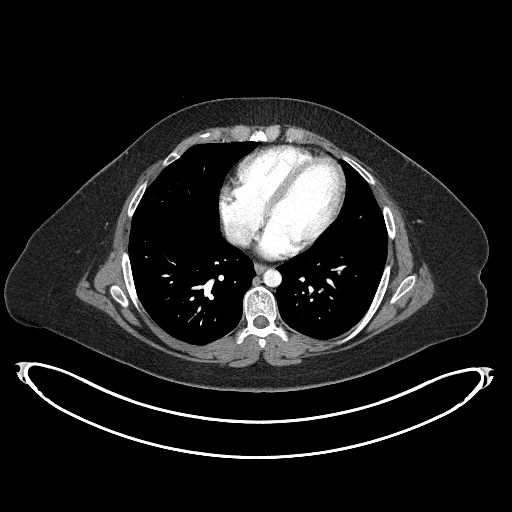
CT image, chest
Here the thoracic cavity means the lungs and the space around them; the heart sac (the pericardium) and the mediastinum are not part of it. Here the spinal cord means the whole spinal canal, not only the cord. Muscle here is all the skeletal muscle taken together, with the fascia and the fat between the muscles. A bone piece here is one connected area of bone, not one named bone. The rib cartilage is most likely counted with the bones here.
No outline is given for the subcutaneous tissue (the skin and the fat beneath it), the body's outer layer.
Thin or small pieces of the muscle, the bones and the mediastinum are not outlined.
torso: 251 392; 307 389; 365 375; 428 346; 469 333; 481 323; 487 307; 480 274; 489 246; 481 224; 469 209; 431 173; 375 132; 338 110; 304 99; 224 97; 194 103; 165 116; 33 232; 4 286; 6 308; 19 323; 48 329; 166 380
pericardium: 268 260; 283 260; 304 251; 336 219; 344 199; 345 178; 341 166; 329 154; 289 142; 268 144; 255 148; 240 159; 228 176; 220 194; 223 211; 220 216; 222 227; 227 234; 230 229; 237 229; 246 238; 246 241; 240 244
thoracic cavity 1: 192 344; 205 344; 222 337; 237 326; 242 316; 242 298; 250 287; 255 272; 251 260; 221 236; 218 202; 228 170; 240 157; 251 151; 256 142; 231 141; 191 146; 179 159; 164 168; 147 187; 131 220; 128 253; 142 306; 166 332
thoracic cavity 2: 320 339; 332 338; 348 331; 361 318; 375 292; 385 264; 387 252; 388 238; 381 209; 369 185; 347 163; 340 159; 339 162; 346 178; 346 194; 342 209; 337 219; 310 249; 278 267; 282 274; 282 282; 275 293; 282 320; 296 331
muscle 1: 230 367; 244 367; 261 359; 270 365; 284 366; 299 363; 306 357; 347 349; 406 319; 426 304; 434 293; 431 275; 404 221; 402 211; 372 169; 327 138; 294 125; 280 124; 283 130; 292 126; 304 131; 305 137; 297 142; 319 145; 339 158; 341 154; 346 154; 369 171; 376 181; 370 187; 380 207; 387 204; 394 215; 396 236; 393 240; 388 239; 386 260; 391 265; 389 284; 377 311; 356 336; 340 344; 337 341; 351 329; 338 337; 320 340; 285 328; 289 338; 287 342; 270 334; 265 337; 266 345; 261 348; 258 337; 254 335; 247 336; 241 344; 235 342; 235 334; 244 325; 243 320; 232 332; 218 340; 205 345; 192 345; 166 333; 141 306; 136 309; 130 301; 124 308; 117 303; 109 293; 111 285; 119 285; 128 297; 120 266; 121 252; 127 251; 130 228; 127 205; 139 184; 145 179; 149 184; 163 169; 163 158; 151 164; 140 175; 117 221; 100 243; 90 269; 75 290; 81 300; 107 314; 124 330; 148 345; 185 360 with a hole at 391 304; 394 303; 398 299; 399 299; 404 294; 405 294; 409 290; 410 290; 412 288; 412 287; 415 282; 415 275; 409 275; 408 276; 405 277; 401 281; 401 282; 397 287; 395 292; 392 295; 392 297; 390 300; 390 303
muscle 2: 178 150; 185 144; 188 144; 189 147; 193 144; 200 142; 219 142; 223 140; 224 141; 229 141; 231 140; 228 136; 228 130; 231 127; 232 127; 234 125; 236 125; 233 125; 232 126; 225 126; 224 127; 208 127; 203 130; 195 132; 181 140; 175 146; 173 149; 177 149; inner edge: 191 143; 194 143; 198 139; 201 139; 202 140; 204 140; 205 139; 214 139; 215 140; 216 139; 218 139; 221 135; 221 132; 216 130; 212 132; 205 132; 204 133; 202 133; 200 134; 196 138; 196 139; 194 140
spinal cord: 257 327; 264 327; 265 326; 266 326; 267 325; 267 324; 268 323; 268 322; 267 321; 267 320; 266 319; 266 318; 265 317; 264 317; 263 316; 258 316; 257 317; 256 317; 254 319; 254 325; 255 326; 256 326
bones 1: 261 347; 265 345; 264 337; 270 333; 274 333; 287 341; 284 328; 295 331; 281 320; 274 295; 264 287; 256 286; 250 288; 244 295; 241 320; 245 321; 245 325; 237 332; 236 342; 241 343; 247 335; 254 334; 259 337; 258 342 with a hole at 257 327; 264 327; 265 326; 266 326; 267 325; 267 324; 268 323; 268 322; 267 321; 267 320; 266 319; 266 318; 265 317; 264 317; 263 316; 258 316; 257 317; 256 317; 254 319; 254 325; 255 326; 256 326
bones 2: 257 142; 273 141; 277 139; 282 133; 284 134; 285 139; 287 141; 299 141; 304 137; 304 133; 300 129; 292 127; 283 131; 279 124; 270 125; 264 129; 252 129; 248 126; 237 125; 229 130; 229 136; 232 140; 248 140
bones 3: 136 308; 139 305; 141 305; 141 304; 138 299; 135 290; 128 254; 126 251; 123 251; 121 256; 121 266; 122 267; 125 285; 129 297; 128 298; 119 286; 117 285; 113 285; 110 287; 110 293; 113 298; 122 306; 126 307; 130 300
bones 4: 340 343; 343 343; 356 335; 366 325; 376 311; 383 298; 383 296; 385 293; 388 284; 388 281; 390 276; 390 265; 388 263; 386 263; 385 265; 376 292; 367 311; 362 318; 352 328; 352 331; 347 336; 338 341; 338 342
bones 5: 391 304; 394 303; 398 299; 399 299; 404 294; 405 294; 409 290; 410 290; 412 288; 412 287; 415 282; 415 275; 409 275; 408 276; 405 277; 401 281; 401 282; 397 287; 395 292; 392 295; 392 297; 390 300; 390 303
bones 6: 130 218; 131 218; 140 199; 142 197; 142 196; 146 189; 146 187; 148 185; 148 182; 146 180; 145 180; 141 184; 140 184; 140 185; 136 189; 135 192; 133 194; 133 195; 130 200; 130 202; 128 205; 128 208; 127 209; 127 214
bones 7: 371 185; 373 185; 375 183; 375 181; 374 180; 374 178; 373 177; 373 176; 362 166; 361 166; 357 162; 356 162; 348 156; 347 156; 346 155; 341 155; 340 158; 341 159; 344 160; 346 162; 347 162; 369 184; 370 184
bones 8: 390 239; 393 239; 393 238; 395 236; 395 224; 394 223; 394 220; 393 219; 393 215; 391 212; 390 208; 387 205; 384 205; 382 207; 382 213; 383 214; 383 217; 384 218; 384 221; 385 222; 385 225; 386 226; 388 237
bones 9: 164 167; 165 167; 173 161; 174 161; 178 158; 179 158; 182 154; 182 153; 188 147; 188 145; 185 145; 184 146; 183 146; 178 151; 177 150; 173 150; 171 152; 170 152; 164 158; 164 159; 163 160; 163 162; 162 163; 162 164
bones 10: 191 143; 194 143; 198 139; 201 139; 202 140; 204 140; 205 139; 214 139; 215 140; 216 139; 218 139; 221 135; 221 132; 216 130; 212 132; 205 132; 204 133; 202 133; 200 134; 196 138; 196 139; 194 140
mediastinum 1: 274 294; 281 282; 281 274; 277 267; 291 258; 283 261; 268 261; 259 258; 250 249; 246 249; 239 244; 245 241; 241 233; 237 230; 230 230; 227 235; 223 231; 220 222; 222 236; 245 253; 254 264; 256 274; 251 287; 262 285
mediastinum 2: 338 161; 339 160; 338 158; 336 158; 335 156; 329 152; 324 150; 319 146; 316 146; 313 144; 302 144; 301 143; 297 143; 296 142; 291 142; 290 143; 299 143; 302 145; 311 146; 312 147; 315 147; 318 149; 321 149; 329 153